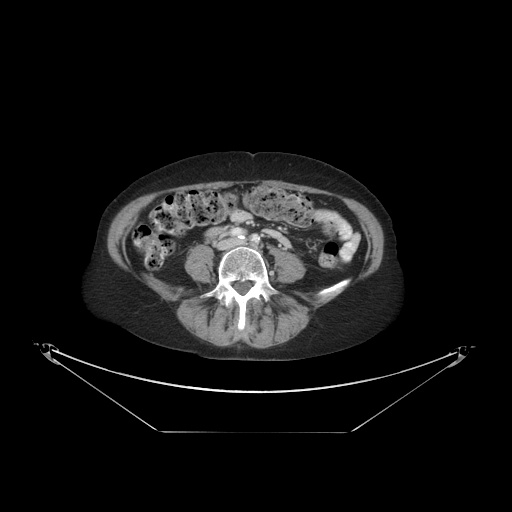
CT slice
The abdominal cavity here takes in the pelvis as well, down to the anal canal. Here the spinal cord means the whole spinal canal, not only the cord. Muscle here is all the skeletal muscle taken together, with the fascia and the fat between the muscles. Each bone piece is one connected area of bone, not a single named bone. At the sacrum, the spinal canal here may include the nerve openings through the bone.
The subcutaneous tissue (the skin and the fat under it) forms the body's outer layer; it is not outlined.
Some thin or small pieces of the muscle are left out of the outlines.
{"abdominal_cavity":[[[258,183],[343,202],[367,243],[354,274],[321,289],[289,288],[305,275],[304,262],[272,247],[273,263],[267,267],[261,252],[247,245],[225,251],[216,271],[212,248],[192,246],[183,267],[195,287],[164,281],[132,263],[126,238],[140,212],[157,197]]],"muscle":[[[244,179],[282,180],[352,198],[373,213],[384,235],[384,252],[378,269],[340,294],[352,281],[350,276],[364,264],[368,243],[356,215],[337,197],[258,182],[170,191],[148,203],[125,238],[125,251],[133,266],[164,282],[195,288],[197,284],[184,263],[192,247],[207,245],[214,254],[217,282],[200,296],[214,297],[225,307],[234,302],[239,331],[246,326],[250,300],[262,298],[267,302],[280,292],[269,279],[267,268],[274,263],[272,248],[295,254],[305,266],[304,275],[287,288],[319,290],[316,295],[322,300],[337,296],[316,309],[294,338],[267,348],[252,347],[241,341],[217,346],[191,334],[178,320],[172,304],[118,266],[107,249],[110,223],[131,200],[170,187]]],"torso":[[[221,150],[283,151],[313,157],[349,173],[379,199],[393,222],[397,256],[406,284],[403,310],[389,329],[351,348],[314,357],[286,361],[220,360],[152,344],[120,328],[108,327],[87,312],[80,298],[79,281],[107,204],[132,181],[156,168],[191,155]]],"bones":[{"outer":[[236,246],[247,246],[260,252],[268,271],[269,282],[279,291],[272,294],[267,301],[262,297],[248,301],[245,311],[246,322],[242,330],[237,327],[239,308],[234,301],[225,306],[214,296],[201,296],[217,284],[217,269],[220,259],[225,252]],"hole":[[235,281],[240,281],[241,282],[244,282],[245,281],[251,281],[252,282],[252,285],[249,288],[249,289],[244,294],[241,294],[240,293],[239,293],[233,287],[233,286],[232,285],[232,283],[233,283]]},[[347,277],[350,277],[351,278],[351,281],[349,283],[349,284],[347,286],[346,286],[339,294],[335,295],[334,296],[331,296],[330,297],[328,297],[325,299],[322,299],[317,295],[317,292],[318,291],[324,288],[326,288],[329,286],[331,286],[335,283]]],"spinal_cord":[[[235,281],[240,281],[241,282],[244,282],[245,281],[251,281],[252,282],[252,285],[249,288],[249,289],[244,294],[241,294],[240,293],[239,293],[233,287],[233,286],[232,285],[232,283],[233,283]]]}